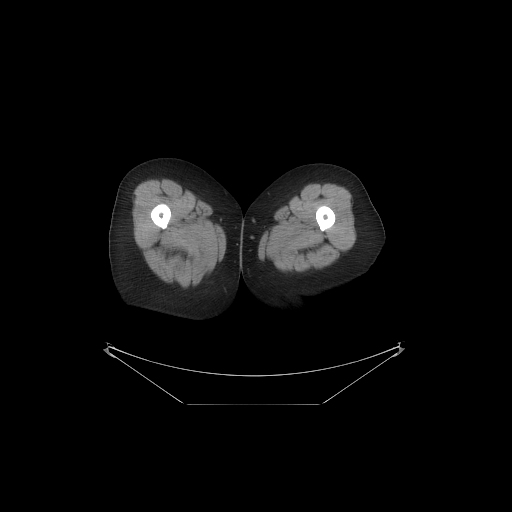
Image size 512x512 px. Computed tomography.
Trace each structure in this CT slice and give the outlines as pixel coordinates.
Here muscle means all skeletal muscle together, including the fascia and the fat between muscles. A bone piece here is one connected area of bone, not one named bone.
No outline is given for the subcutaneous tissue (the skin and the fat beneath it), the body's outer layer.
Outlines:
bones 1: 159 203; 165 203; 167 205; 168 205; 168 206; 170 208; 170 210; 171 211; 171 217; 169 220; 169 222; 168 223; 166 228; 165 228; 164 229; 162 229; 160 227; 157 226; 152 221; 152 220; 150 217; 150 211; 155 205; 156 205
bones 2: 321 205; 326 205; 330 207; 333 210; 335 214; 335 221; 333 225; 331 227; 330 227; 328 229; 324 231; 322 231; 319 228; 319 226; 315 218; 315 212; 317 208
right leg: 164 156; 182 158; 203 168; 233 195; 241 208; 242 213; 239 246; 239 269; 241 277; 239 279; 238 293; 234 302; 226 311; 210 319; 196 321; 126 305; 118 296; 112 281; 108 257; 108 231; 119 183; 127 171; 135 165; 148 159
muscle 1: 156 177; 168 178; 195 190; 212 205; 215 211; 217 221; 225 232; 226 252; 221 265; 210 282; 201 289; 190 294; 182 294; 163 285; 155 277; 148 267; 141 251; 134 240; 133 221; 131 213; 132 193; 135 187; 139 183; 145 179; inner edge: 159 203; 165 203; 167 205; 168 205; 168 206; 170 208; 170 210; 171 211; 171 217; 169 220; 169 222; 168 223; 166 228; 165 228; 164 229; 162 229; 160 227; 157 226; 152 221; 152 220; 150 217; 150 211; 155 205; 156 205
muscle 2: 319 181; 342 183; 352 192; 354 225; 357 235; 353 248; 347 256; 338 264; 329 269; 326 269; 313 275; 284 276; 276 274; 272 271; 264 268; 261 266; 257 259; 257 245; 259 240; 260 230; 263 223; 277 209; 293 189; 307 183 with a hole at 321 205; 326 205; 330 207; 333 210; 335 214; 335 221; 333 225; 331 227; 330 227; 328 229; 324 231; 322 231; 319 228; 319 226; 315 218; 315 212; 317 208
left leg: 313 162; 340 165; 352 171; 361 180; 381 218; 385 230; 385 243; 375 262; 362 276; 347 285; 311 298; 309 300; 311 309; 304 313; 280 313; 265 307; 256 300; 242 277; 240 269; 242 214; 245 213; 250 203; 281 174; 293 167